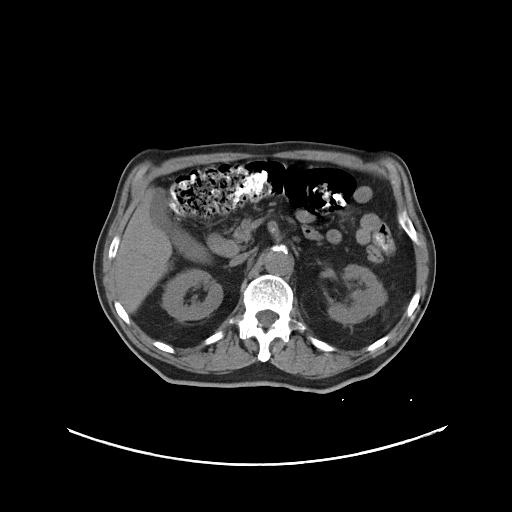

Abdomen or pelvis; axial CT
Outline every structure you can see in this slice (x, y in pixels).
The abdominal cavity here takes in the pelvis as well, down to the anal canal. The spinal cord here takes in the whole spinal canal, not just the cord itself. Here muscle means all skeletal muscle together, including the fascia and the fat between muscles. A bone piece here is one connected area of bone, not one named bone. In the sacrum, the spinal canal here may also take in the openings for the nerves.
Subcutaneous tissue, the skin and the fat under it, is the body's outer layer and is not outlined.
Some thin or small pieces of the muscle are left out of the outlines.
The torso is outlined by [[283,140],[317,141],[367,149],[386,148],[404,160],[435,244],[435,282],[428,305],[404,346],[383,367],[365,379],[331,392],[316,393],[267,385],[200,387],[170,383],[126,345],[105,315],[96,292],[94,249],[121,173],[136,153],[148,147]]. The muscle appears in 2 outlined pieces: piece 1: [[293,150],[333,151],[375,158],[389,156],[402,167],[429,257],[424,297],[402,337],[381,354],[324,378],[310,379],[288,373],[267,362],[271,357],[270,344],[275,338],[286,343],[292,331],[303,332],[306,325],[315,336],[308,335],[307,339],[323,352],[363,347],[372,352],[384,345],[390,338],[388,333],[404,311],[410,318],[419,304],[421,292],[415,290],[414,244],[420,245],[421,242],[407,210],[397,209],[392,186],[399,191],[401,182],[394,167],[388,168],[390,182],[380,175],[330,161],[256,156],[193,164],[154,177],[129,215],[121,235],[115,234],[111,239],[107,257],[113,259],[112,283],[117,299],[113,306],[116,313],[127,325],[132,320],[154,340],[152,344],[155,347],[174,354],[175,347],[192,347],[201,342],[207,346],[217,342],[225,334],[221,329],[216,330],[242,296],[243,312],[230,317],[227,322],[237,326],[240,339],[255,338],[258,343],[256,358],[260,362],[228,373],[197,373],[162,361],[137,347],[112,313],[102,282],[105,240],[131,170],[138,163],[153,158],[217,152],[269,154]], around a hole outlined by [[143,167],[146,167],[146,170],[145,171],[145,172],[143,174],[143,175],[142,176],[142,177],[138,181],[134,181],[134,178],[135,177],[135,176],[136,175],[136,174],[137,173],[137,172],[141,168],[142,168]]; piece 2: [[294,296],[295,296],[297,299],[297,303],[298,304],[298,307],[299,308],[299,310],[300,311],[301,316],[303,319],[303,321],[305,323],[305,324],[302,321],[300,320],[298,320],[295,318],[293,318],[290,314],[293,308],[293,302],[294,301]]. The bones appear in 11 outlined pieces: piece 1: [[262,274],[277,275],[290,286],[293,301],[289,314],[306,327],[303,331],[292,330],[286,342],[275,337],[269,344],[270,357],[265,362],[257,358],[259,343],[256,338],[240,338],[238,326],[228,322],[230,318],[240,316],[244,312],[243,291],[254,278]] with a hole at [[263,310],[270,310],[271,311],[272,311],[273,312],[274,312],[277,315],[277,318],[268,327],[266,327],[265,328],[262,326],[262,325],[259,322],[259,321],[258,320],[258,319],[256,316],[256,315],[258,312],[259,312],[260,311],[262,311]]; piece 2: [[403,209],[405,209],[406,210],[407,215],[409,217],[413,224],[413,226],[417,233],[417,237],[420,242],[420,244],[416,244],[414,243],[411,240],[411,239],[406,233],[404,229],[398,222],[398,220],[397,219],[397,214],[398,212],[401,211]]; piece 3: [[308,336],[312,336],[313,337],[315,337],[320,340],[322,340],[323,341],[324,341],[325,342],[326,342],[327,343],[328,343],[329,344],[334,346],[336,348],[336,350],[335,350],[334,351],[323,351],[322,350],[321,350],[320,349],[315,347],[308,339]]; piece 4: [[416,290],[419,290],[420,292],[420,295],[419,296],[419,301],[418,302],[418,304],[417,306],[413,311],[411,316],[409,317],[407,316],[406,314],[406,309],[410,301],[410,299],[412,297],[414,292]]; piece 5: [[116,300],[119,301],[119,302],[122,305],[122,306],[124,308],[125,311],[127,313],[127,314],[128,315],[128,316],[130,319],[130,323],[129,324],[127,324],[119,316],[119,315],[117,313],[117,312],[116,311],[116,309],[114,306],[114,301],[115,301]]; piece 6: [[115,235],[118,235],[120,237],[119,238],[119,244],[118,245],[118,247],[117,248],[117,251],[115,254],[115,256],[112,259],[109,259],[109,258],[108,257],[108,251],[109,250],[109,246],[111,243],[111,241],[112,240],[112,239],[114,237],[114,236]]; piece 7: [[387,334],[388,334],[389,335],[389,338],[384,343],[384,344],[383,344],[381,346],[378,347],[376,349],[375,349],[372,351],[367,351],[366,350],[366,347],[367,346],[368,346],[370,344],[371,344],[373,342],[374,342],[379,338],[380,338]]; piece 8: [[220,330],[221,330],[224,334],[223,335],[223,337],[222,338],[219,339],[217,341],[216,341],[213,343],[211,343],[210,344],[208,344],[207,345],[206,345],[203,343],[203,341],[207,337],[208,337],[210,335],[213,334],[216,331],[219,331]]; piece 9: [[389,168],[394,168],[396,171],[396,173],[398,175],[398,176],[399,177],[399,181],[400,182],[400,188],[399,189],[399,190],[397,190],[396,189],[394,189],[394,188],[393,187],[393,186],[391,183],[391,174],[390,173],[390,171],[389,170]]; piece 10: [[155,340],[157,340],[158,341],[161,341],[173,347],[174,349],[174,353],[171,353],[170,352],[167,352],[166,351],[164,351],[158,348],[156,346],[155,346],[153,344],[153,341]]; piece 11: [[143,167],[146,167],[146,170],[145,171],[145,172],[143,174],[143,175],[142,176],[142,177],[138,181],[134,181],[134,178],[135,177],[135,176],[136,175],[136,174],[137,173],[137,172],[141,168],[142,168]]. The abdominal cavity is outlined by [[256,157],[330,162],[389,181],[397,222],[413,243],[415,287],[386,334],[358,349],[336,347],[318,338],[304,321],[291,286],[272,273],[254,277],[215,331],[192,346],[174,347],[154,339],[130,318],[115,294],[113,262],[126,223],[152,180],[193,165]]. The spinal cord is outlined by [[263,310],[270,310],[271,311],[272,311],[273,312],[274,312],[277,315],[277,318],[268,327],[266,327],[265,328],[262,326],[262,325],[259,322],[259,321],[258,320],[258,319],[256,316],[256,315],[258,312],[259,312],[260,311],[262,311]].